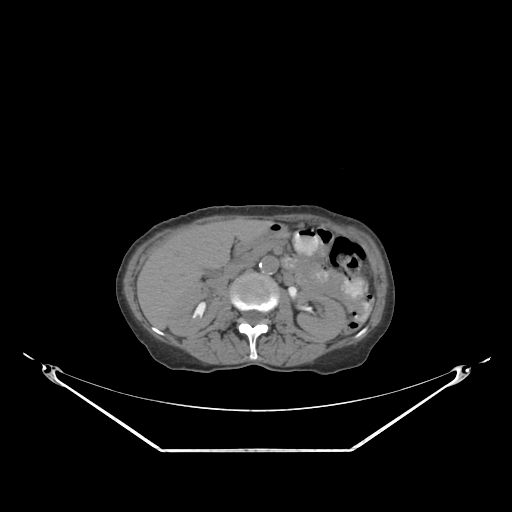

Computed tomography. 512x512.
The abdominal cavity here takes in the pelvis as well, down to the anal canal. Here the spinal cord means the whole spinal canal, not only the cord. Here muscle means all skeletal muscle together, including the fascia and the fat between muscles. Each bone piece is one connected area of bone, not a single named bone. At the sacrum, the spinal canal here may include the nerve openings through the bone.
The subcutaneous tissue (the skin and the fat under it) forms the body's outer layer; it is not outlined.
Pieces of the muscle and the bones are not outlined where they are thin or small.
The abdominal cavity is outlined by (258, 219) (316, 224) (339, 233) (364, 249) (373, 278) (375, 303) (362, 329) (333, 342) (311, 337) (296, 326) (286, 290) (269, 275) (257, 271) (238, 275) (215, 303) (211, 323) (191, 335) (169, 334) (145, 316) (137, 300) (136, 278) (159, 245) (179, 232) (199, 225). The torso is outlined by (225, 204) (316, 204) (355, 217) (375, 231) (385, 247) (391, 265) (395, 284) (395, 306) (388, 329) (361, 365) (330, 375) (307, 371) (276, 372) (257, 365) (200, 373) (173, 370) (151, 357) (126, 323) (116, 300) (115, 277) (122, 257) (131, 243) (152, 225) (198, 208). The bones appear in 2 outlined pieces: piece 1: (246, 272) (257, 272) (269, 276) (279, 287) (277, 305) (267, 313) (268, 330) (267, 332) (260, 334) (256, 339) (255, 349) (257, 358) (253, 360) (249, 358) (250, 348) (248, 338) (245, 334) (239, 332) (237, 327) (240, 312) (230, 300) (230, 286) (232, 282) (238, 276) with a hole at (248, 310) (256, 310) (257, 311) (259, 311) (260, 312) (263, 312) (264, 313) (265, 313) (265, 317) (264, 318) (263, 321) (260, 323) (257, 323) (254, 325) (251, 325) (249, 323) (248, 323) (247, 322) (244, 321) (244, 320) (242, 317) (242, 313) (244, 311) (247, 311); piece 2: (366, 326) (367, 327) (367, 329) (366, 330) (366, 331) (362, 335) (361, 335) (359, 337) (358, 337) (357, 338) (355, 338) (354, 337) (354, 335) (357, 332) (358, 332) (359, 331) (360, 331) (361, 330) (362, 330). The muscle is outlined by (290, 213) (311, 213) (353, 225) (367, 233) (375, 242) (385, 266) (388, 286) (381, 320) (365, 338) (356, 344) (328, 352) (311, 363) (277, 366) (254, 360) (258, 358) (257, 339) (269, 330) (268, 313) (278, 305) (280, 288) (285, 290) (291, 302) (295, 326) (311, 338) (325, 343) (333, 343) (353, 334) (355, 339) (362, 336) (368, 329) (376, 303) (368, 255) (358, 242) (316, 223) (283, 219) (221, 220) (183, 229) (156, 247) (135, 278) (139, 309) (153, 325) (150, 329) (161, 336) (165, 332) (185, 337) (202, 331) (214, 320) (214, 307) (229, 288) (229, 300) (239, 312) (236, 327) (247, 338) (248, 358) (251, 360) (235, 364) (206, 364) (154, 338) (139, 324) (123, 293) (122, 280) (136, 248) (156, 232) (215, 214). The spinal cord is outlined by (248, 310) (256, 310) (257, 311) (259, 311) (260, 312) (263, 312) (264, 313) (265, 313) (265, 317) (264, 318) (263, 321) (260, 323) (257, 323) (254, 325) (251, 325) (249, 323) (248, 323) (247, 322) (244, 321) (244, 320) (242, 317) (242, 313) (244, 311) (247, 311).